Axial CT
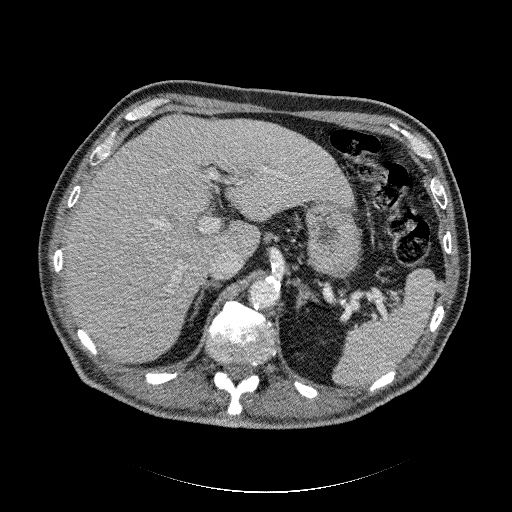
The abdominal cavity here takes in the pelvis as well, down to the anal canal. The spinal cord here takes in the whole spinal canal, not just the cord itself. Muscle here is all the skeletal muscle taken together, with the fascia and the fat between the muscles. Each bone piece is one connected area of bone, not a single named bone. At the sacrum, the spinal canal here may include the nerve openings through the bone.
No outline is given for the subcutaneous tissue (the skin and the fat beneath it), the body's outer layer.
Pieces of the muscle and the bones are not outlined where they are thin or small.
Outlined structures:
abdominal cavity: (168, 110) (286, 114) (368, 130) (397, 139) (423, 162) (444, 278) (427, 328) (395, 369) (357, 389) (314, 383) (286, 365) (273, 323) (235, 299) (226, 300) (212, 318) (200, 350) (170, 369) (121, 365) (96, 347) (66, 300) (62, 269) (68, 227) (92, 179) (130, 131)
muscle: (164, 92) (292, 111) (384, 114) (411, 126) (432, 144) (453, 203) (459, 277) (443, 327) (416, 370) (380, 393) (327, 416) (276, 418) (242, 411) (241, 395) (258, 388) (256, 369) (276, 356) (276, 344) (285, 365) (314, 384) (339, 390) (368, 386) (370, 392) (390, 384) (396, 367) (428, 328) (432, 333) (437, 329) (445, 315) (444, 306) (437, 302) (445, 278) (444, 253) (452, 253) (451, 232) (445, 230) (441, 241) (436, 210) (436, 203) (446, 209) (447, 193) (436, 174) (429, 181) (424, 162) (415, 155) (427, 162) (434, 158) (425, 141) (393, 121) (388, 126) (407, 146) (376, 131) (274, 112) (205, 115) (168, 109) (144, 120) (129, 131) (93, 176) (67, 227) (63, 250) (57, 247) (51, 257) (54, 271) (61, 271) (67, 307) (78, 326) (76, 335) (93, 355) (99, 350) (121, 366) (152, 370) (143, 374) (144, 380) (158, 385) (176, 378) (178, 372) (157, 371) (176, 367) (204, 345) (203, 351) (219, 366) (212, 376) (214, 386) (229, 394) (226, 408) (197, 411) (137, 399) (114, 385) (83, 354) (62, 325) (50, 296) (47, 254) (57, 208) (80, 162) (107, 125) (132, 103) with holes at (155, 98) (168, 98) (169, 99) (169, 102) (168, 103) (164, 105) (156, 107) (153, 110) (152, 113) (147, 117) (145, 117) (144, 118) (140, 118) (134, 121) (127, 121) (124, 119) (124, 115) (128, 111) (131, 110) (133, 108) (147, 101) (149, 101) and at (116, 127) (118, 127) (118, 130) (117, 131) (117, 133) (115, 137) (115, 141) (110, 150) (110, 153) (99, 163) (98, 163) (94, 166) (91, 166) (89, 164) (89, 158) (90, 157) (90, 155) (92, 151) (98, 145) (99, 145) (106, 138) (106, 137) (110, 133) (110, 132) and at (296, 380) (297, 381) (299, 381) (306, 385) (310, 385) (314, 388) (315, 388) (318, 391) (318, 392) (319, 393) (318, 394) (318, 395) (316, 397) (313, 397) (312, 398) (309, 398) (308, 397) (303, 396) (301, 394) (300, 394) (293, 384) (294, 381) (295, 381) and at (77, 184) (79, 184) (81, 185) (81, 189) (80, 190) (80, 192) (79, 193) (79, 195) (78, 196) (78, 198) (76, 202) (72, 206) (72, 207) (69, 208) (67, 207) (67, 200) (70, 194) (70, 192) (72, 190) (74, 186)
spinal cord: (230, 362) (235, 362) (236, 363) (241, 363) (242, 362) (247, 362) (249, 363) (253, 367) (253, 372) (247, 377) (245, 377) (237, 381) (234, 381) (228, 375) (228, 374) (225, 371) (223, 370) (223, 366) (225, 364) (227, 363) (229, 363)
torso: (171, 79) (369, 98) (410, 114) (438, 138) (461, 194) (469, 232) (471, 267) (461, 315) (436, 363) (415, 387) (370, 413) (345, 423) (306, 429) (245, 429) (156, 417) (88, 386) (79, 378) (49, 321) (41, 296) (37, 247) (44, 210) (69, 158) (110, 108) (134, 89)
bones 1: (228, 300) (238, 301) (263, 314) (272, 323) (276, 348) (275, 356) (255, 369) (259, 376) (258, 386) (254, 391) (246, 391) (240, 395) (242, 409) (239, 414) (234, 415) (227, 412) (230, 394) (224, 389) (218, 389) (213, 381) (213, 376) (220, 366) (204, 351) (208, 328), around a hole outlined by (230, 362) (235, 362) (236, 363) (241, 363) (242, 362) (247, 362) (249, 363) (253, 367) (253, 372) (247, 377) (245, 377) (237, 381) (234, 381) (228, 375) (228, 374) (225, 371) (223, 370) (223, 366) (225, 364) (227, 363) (229, 363)
bones 2: (390, 122) (393, 122) (397, 124) (400, 127) (407, 130) (409, 132) (425, 142) (427, 144) (433, 158) (431, 160) (427, 161) (425, 159) (417, 155) (408, 146) (408, 142) (407, 140) (401, 134) (400, 134) (397, 131) (394, 130) (389, 126) (388, 124)
bones 3: (155, 98) (168, 98) (169, 99) (169, 102) (168, 103) (164, 105) (156, 107) (153, 110) (152, 113) (147, 117) (145, 117) (144, 118) (140, 118) (134, 121) (127, 121) (124, 119) (124, 115) (128, 111) (131, 110) (133, 108) (147, 101) (149, 101)
bones 4: (116, 127) (118, 127) (118, 130) (117, 131) (117, 133) (115, 137) (115, 141) (110, 150) (110, 153) (99, 163) (98, 163) (94, 166) (91, 166) (89, 164) (89, 158) (90, 157) (90, 155) (92, 151) (98, 145) (99, 145) (106, 138) (106, 137) (110, 133) (110, 132)
bones 5: (434, 175) (436, 175) (439, 178) (440, 182) (443, 186) (444, 190) (446, 193) (446, 196) (447, 197) (447, 204) (446, 205) (445, 209) (441, 209) (438, 205) (438, 204) (434, 200) (434, 198) (432, 195) (431, 190) (429, 187) (429, 184) (430, 183) (430, 179) (431, 177)
bones 6: (154, 371) (156, 371) (157, 372) (170, 372) (171, 373) (173, 372) (177, 372) (177, 376) (168, 381) (166, 381) (162, 383) (159, 383) (158, 384) (152, 384) (151, 383) (148, 383) (146, 382) (145, 380) (145, 377) (144, 376) (144, 374) (146, 372) (153, 372)
bones 7: (296, 380) (297, 381) (299, 381) (306, 385) (310, 385) (314, 388) (315, 388) (318, 391) (318, 392) (319, 393) (318, 394) (318, 395) (316, 397) (313, 397) (312, 398) (309, 398) (308, 397) (303, 396) (301, 394) (300, 394) (293, 384) (294, 381) (295, 381)
bones 8: (439, 304) (441, 304) (444, 308) (444, 315) (443, 316) (440, 323) (438, 325) (438, 326) (436, 328) (436, 329) (432, 332) (429, 330) (429, 328) (428, 327) (428, 326) (429, 325) (429, 323) (430, 322) (431, 317) (433, 314) (433, 312) (434, 311) (436, 306)
bones 9: (394, 369) (396, 371) (396, 374) (395, 375) (393, 380) (390, 383) (388, 383) (379, 388) (376, 388) (372, 391) (370, 391) (368, 389) (369, 386) (373, 382) (374, 382) (377, 379) (378, 379) (380, 377) (383, 376) (391, 370) (393, 370)
bones 10: (78, 328) (80, 328) (81, 329) (82, 329) (89, 336) (89, 337) (95, 345) (95, 347) (97, 349) (97, 353) (96, 354) (93, 354) (84, 345) (83, 345) (82, 344) (82, 343) (79, 339) (79, 338) (77, 335) (77, 333) (76, 332) (76, 331)
bones 11: (61, 247) (62, 248) (62, 268) (61, 269) (61, 270) (59, 272) (56, 272) (55, 271) (55, 270) (54, 269) (54, 265) (53, 264) (53, 259) (52, 258) (52, 257) (53, 256) (53, 255) (54, 254) (54, 252) (55, 251) (55, 250) (57, 248) (60, 248)
bones 12: (77, 184) (79, 184) (81, 185) (81, 189) (80, 190) (80, 192) (79, 193) (79, 195) (78, 196) (78, 198) (76, 202) (72, 206) (72, 207) (69, 208) (67, 207) (67, 200) (70, 194) (70, 192) (72, 190) (74, 186)